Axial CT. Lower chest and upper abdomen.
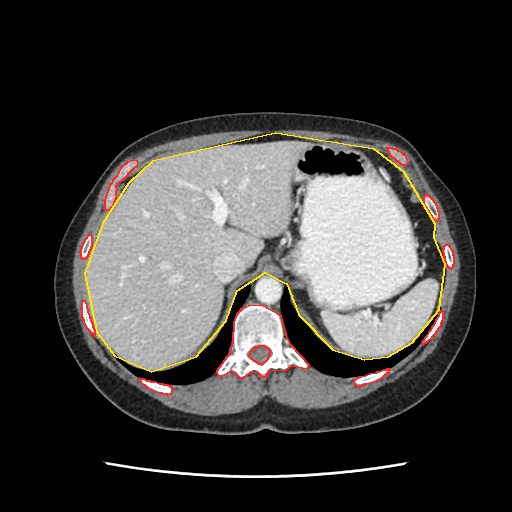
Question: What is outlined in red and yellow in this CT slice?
Answer: red: bones; yellow: abdominal cavity.
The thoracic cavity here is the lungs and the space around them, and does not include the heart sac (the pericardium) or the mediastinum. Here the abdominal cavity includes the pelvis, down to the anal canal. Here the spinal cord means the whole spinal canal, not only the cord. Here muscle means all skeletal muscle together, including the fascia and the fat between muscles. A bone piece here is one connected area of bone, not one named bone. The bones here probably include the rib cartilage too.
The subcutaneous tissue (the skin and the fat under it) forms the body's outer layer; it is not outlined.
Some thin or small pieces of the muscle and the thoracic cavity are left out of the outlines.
The bones appear in 10 outlined pieces: piece 1: (241, 378) (252, 371) (257, 372) (261, 376) (265, 376) (270, 369) (285, 370) (291, 365) (307, 368) (309, 365) (291, 345) (286, 335) (281, 316) (261, 305) (248, 306) (241, 309) (236, 314) (233, 322) (232, 341) (229, 353) (216, 371) (217, 375) (222, 375) (231, 370), around a hole outlined by (261, 364) (262, 363) (263, 363) (268, 358) (268, 357) (270, 355) (270, 351) (268, 348) (267, 348) (264, 346) (258, 346) (257, 347) (254, 347) (249, 352) (249, 356) (253, 360) (254, 360) (255, 361) (256, 361) (258, 363) (260, 363); piece 2: (106, 210) (109, 209) (113, 205) (114, 201) (117, 196) (116, 195) (116, 190) (117, 189) (116, 186) (117, 183) (123, 179) (133, 168) (137, 165) (138, 163) (137, 161) (133, 160) (127, 162) (120, 168) (115, 177) (112, 180) (111, 183) (109, 185) (104, 200) (104, 208); piece 3: (356, 385) (361, 385) (362, 384) (365, 384) (366, 383) (372, 382) (382, 377) (387, 372) (388, 372) (390, 369) (386, 369) (385, 370) (383, 370) (379, 372) (376, 372) (375, 373) (369, 374) (365, 376) (358, 377) (353, 381) (354, 384); piece 4: (167, 394) (171, 393) (172, 392) (172, 387) (171, 386) (169, 386) (168, 385) (164, 385) (163, 384) (159, 384) (155, 382) (151, 382) (150, 381) (147, 381) (144, 379) (140, 379) (139, 378) (140, 382) (144, 384) (147, 387) (155, 391) (161, 392) (162, 393) (166, 393); piece 5: (95, 336) (95, 330) (93, 327) (93, 324) (91, 321) (91, 319) (90, 318) (90, 316) (88, 312) (87, 305) (85, 301) (82, 301) (81, 303) (81, 316) (83, 319) (83, 321) (86, 327) (89, 330) (89, 331) (91, 332); piece 6: (434, 220) (437, 220) (439, 218) (439, 212) (438, 211) (437, 206) (436, 205) (436, 204) (434, 202) (434, 201) (429, 196) (428, 196) (427, 195) (425, 195) (423, 197) (423, 203); piece 7: (423, 344) (432, 337) (432, 336) (436, 332) (436, 331) (440, 326) (441, 324) (441, 322) (443, 319) (443, 312) (442, 311) (439, 311) (438, 313) (438, 316) (435, 320) (433, 325) (431, 327) (430, 330) (428, 332) (426, 336) (421, 342); piece 8: (449, 268) (451, 268) (453, 266) (453, 264) (454, 263) (454, 256) (453, 255) (453, 252) (452, 251) (450, 246) (449, 246) (446, 244) (443, 247) (443, 249) (442, 250) (442, 251) (443, 252) (443, 255) (444, 256) (444, 260) (445, 261) (445, 263) (446, 264) (446, 265); piece 9: (81, 258) (85, 258) (86, 257) (87, 257) (87, 256) (89, 253) (89, 251) (90, 250) (90, 249) (91, 248) (91, 246) (92, 245) (92, 236) (91, 235) (88, 235) (86, 237) (86, 238) (84, 240) (84, 241) (81, 246) (81, 248) (80, 249) (80, 256) (81, 257); piece 10: (402, 164) (405, 164) (407, 163) (408, 161) (405, 155) (404, 155) (401, 152) (398, 151) (396, 149) (393, 149) (392, 148) (388, 148) (386, 147) (389, 154) (392, 157) (393, 157) (396, 160) (397, 160) (400, 163). The abdominal cavity is outlined by (151, 371) (196, 356) (226, 320) (237, 290) (265, 272) (286, 283) (298, 314) (332, 349) (364, 359) (388, 356) (412, 342) (439, 309) (445, 264) (434, 237) (435, 224) (404, 172) (374, 149) (275, 133) (152, 161) (128, 183) (102, 223) (84, 273) (96, 331) (114, 355). The spinal cord is outlined by (261, 364) (262, 363) (263, 363) (268, 358) (268, 357) (270, 355) (270, 351) (268, 348) (267, 348) (264, 346) (258, 346) (257, 347) (254, 347) (249, 352) (249, 356) (253, 360) (254, 360) (255, 361) (256, 361) (258, 363) (260, 363). The thoracic cavity appears in 2 outlined pieces: piece 1: (341, 377) (361, 376) (393, 366) (422, 340) (436, 318) (438, 310) (429, 326) (412, 343) (388, 357) (364, 360) (342, 354) (332, 350) (323, 344) (300, 318) (291, 305) (288, 289) (286, 287) (281, 297) (281, 315) (287, 335) (292, 345) (301, 356) (316, 369) (325, 374); piece 2: (169, 385) (194, 383) (203, 380) (215, 372) (228, 353) (228, 348) (231, 341) (232, 322) (235, 314) (242, 307) (246, 299) (250, 283) (247, 283) (238, 290) (228, 318) (214, 340) (196, 357) (186, 364) (164, 371) (151, 372) (136, 369) (114, 356) (123, 367) (138, 377). The muscle is outlined by (203, 416) (219, 416) (220, 415) (236, 414) (255, 406) (263, 399) (271, 399) (282, 405) (300, 409) (322, 409) (348, 403) (364, 397) (369, 393) (376, 390) (385, 384) (393, 382) (398, 379) (402, 375) (408, 372) (419, 363) (422, 362) (436, 348) (438, 341) (442, 335) (448, 320) (450, 310) (454, 300) (454, 296) (458, 286) (459, 270) (460, 269) (459, 255) (456, 244) (453, 238) (453, 232) (449, 228) (446, 215) (443, 210) (440, 201) (436, 195) (436, 193) (429, 185) (428, 181) (415, 159) (405, 149) (379, 139) (357, 137) (346, 134) (339, 134) (338, 133) (332, 133) (324, 131) (313, 131) (312, 130) (237, 130) (236, 131) (225, 131) (224, 132) (216, 132) (215, 133) (202, 134) (201, 135) (181, 138) (177, 140) (173, 140) (162, 144) (159, 144) (150, 148) (147, 148) (125, 158) (109, 175) (98, 194) (93, 211) (77, 241) (74, 253) (73, 263) (72, 264) (73, 267) (72, 269) (73, 295) (75, 301) (75, 307) (78, 313) (79, 323) (84, 338) (93, 355) (103, 365) (116, 374) (121, 379) (126, 381) (142, 392) (170, 408) (179, 410) (186, 413) (191, 413); inner edge: (167, 394) (172, 392) (172, 385) (194, 383) (214, 372) (222, 375) (231, 370) (243, 378) (252, 371) (265, 376) (270, 369) (285, 370) (291, 365) (311, 365) (334, 376) (357, 376) (353, 382) (361, 385) (382, 377) (420, 342) (432, 337) (443, 319) (443, 312) (438, 310) (445, 266) (453, 266) (454, 256) (450, 246) (446, 244) (442, 250) (434, 237) (433, 221) (439, 218) (436, 204) (427, 195) (421, 202) (391, 158) (405, 164) (405, 155) (387, 147) (388, 156) (374, 149) (263, 133) (152, 161) (117, 200) (117, 183) (138, 163) (129, 161) (120, 168) (104, 200) (104, 208) (112, 209) (95, 239) (88, 235) (80, 249) (81, 258) (87, 259) (81, 316) (90, 332) (95, 336) (97, 330) (100, 333) (123, 367) (147, 387). The torso is outlined by (219, 435) (263, 429) (318, 433) (375, 424) (421, 402) (448, 371) (473, 316) (475, 250) (456, 198) (401, 135) (361, 120) (294, 112) (240, 112) (190, 119) (151, 132) (125, 147) (75, 212) (59, 246) (53, 291) (58, 325) (76, 363) (98, 392) (131, 418) (160, 429). The mediastinum is outlined by (280, 315) (280, 297) (285, 287) (287, 286) (279, 277) (273, 274) (267, 274) (265, 273) (254, 281) (250, 282) (251, 283) (251, 286) (250, 287) (250, 289) (249, 290) (249, 292) (247, 296) (247, 299) (242, 308) (248, 305) (255, 305) (256, 304) (261, 304).